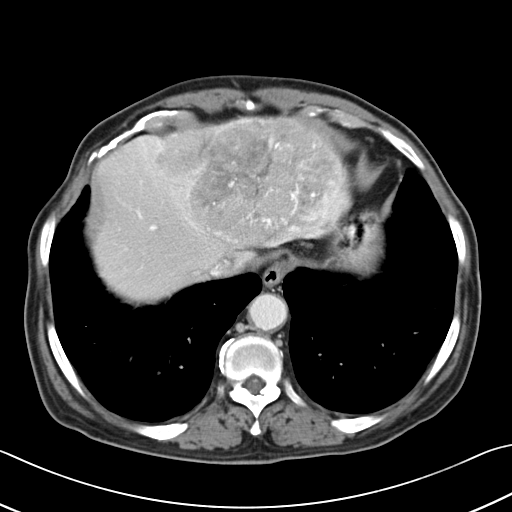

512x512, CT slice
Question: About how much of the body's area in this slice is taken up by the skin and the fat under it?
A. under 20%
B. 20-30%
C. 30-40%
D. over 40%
Answer: A. under 20%
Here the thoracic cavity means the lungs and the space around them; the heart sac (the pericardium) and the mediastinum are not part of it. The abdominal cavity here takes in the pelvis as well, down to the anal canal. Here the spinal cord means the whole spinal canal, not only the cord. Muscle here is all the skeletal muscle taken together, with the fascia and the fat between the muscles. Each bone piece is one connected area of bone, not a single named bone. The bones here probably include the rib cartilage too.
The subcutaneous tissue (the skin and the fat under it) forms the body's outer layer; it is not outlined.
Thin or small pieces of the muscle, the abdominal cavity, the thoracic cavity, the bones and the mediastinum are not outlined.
Outlines (x, y in pixels):
abdominal cavity: [[265,107],[324,116],[365,141],[372,160],[402,160],[403,175],[385,224],[381,272],[360,281],[305,267],[291,271],[276,262],[254,273],[197,283],[164,303],[138,308],[106,291],[82,233],[90,197],[85,184],[96,162],[134,134],[190,117],[194,109]]
thoracic cavity 1: [[412,165],[428,184],[454,242],[457,271],[453,314],[432,362],[403,396],[369,413],[332,411],[310,399],[293,379],[289,351],[292,315],[284,296],[283,280],[286,274],[299,268],[350,276],[360,282],[380,274],[388,255],[386,224],[392,215],[402,178]]
thoracic cavity 2: [[85,185],[89,187],[89,197],[81,220],[83,243],[95,276],[120,303],[133,309],[157,306],[197,284],[247,273],[260,277],[259,292],[219,340],[207,395],[188,412],[166,420],[144,422],[109,410],[84,385],[62,346],[54,323],[50,252],[58,224]]
spinal cord: [[252,375],[255,375],[256,376],[259,377],[263,381],[263,386],[259,390],[258,393],[257,393],[256,394],[254,394],[253,393],[252,393],[247,388],[246,388],[244,386],[244,383],[245,382],[245,381],[250,376],[251,376]]
mediastinum 1: [[276,263],[283,263],[290,269],[283,277],[281,286],[291,315],[288,334],[291,376],[302,394],[298,393],[284,370],[284,352],[268,336],[249,333],[238,337],[230,337],[219,345],[220,340],[234,323],[238,314],[260,292],[262,287],[261,277],[255,273]]
mediastinum 2: [[353,128],[365,128],[381,136],[412,164],[411,167],[408,168],[404,174],[404,162],[400,157],[388,157],[382,161],[376,161],[372,159],[372,156],[370,155],[370,148],[368,144],[366,143],[366,141],[359,137],[356,137],[352,135],[348,131],[348,129]]
bones 1: [[249,334],[268,337],[283,352],[283,370],[306,403],[305,406],[298,405],[285,393],[281,393],[259,413],[258,422],[261,432],[255,436],[249,432],[255,418],[245,405],[231,399],[216,402],[216,386],[221,377],[218,367],[218,348],[230,338]]; inner edge: [[252,375],[255,375],[256,376],[259,377],[263,381],[263,386],[259,390],[258,393],[257,393],[256,394],[254,394],[253,393],[252,393],[247,388],[246,388],[244,386],[244,383],[245,382],[245,381],[250,376],[251,376]]
bones 2: [[160,109],[195,110],[192,115],[187,117],[180,117],[174,121],[162,123],[160,125],[149,127],[136,132],[120,141],[115,147],[110,149],[104,155],[99,158],[96,158],[90,164],[88,164],[88,159],[93,151],[97,150],[123,131],[129,129],[142,116]]
bones 3: [[48,322],[52,322],[54,324],[55,330],[58,336],[61,346],[68,360],[70,362],[82,383],[82,387],[85,393],[85,397],[83,397],[70,384],[63,374],[54,358],[54,356],[50,348],[50,346],[48,342],[48,338],[47,337],[46,325]]
bones 4: [[455,313],[458,313],[460,317],[460,326],[459,327],[459,332],[458,333],[457,339],[455,342],[455,344],[448,358],[438,372],[427,383],[424,383],[424,378],[427,374],[427,372],[431,364],[433,362],[442,343],[445,339],[445,337],[449,329],[453,315]]
bones 5: [[184,421],[187,422],[188,426],[183,432],[172,438],[170,438],[169,439],[164,439],[163,440],[158,440],[157,439],[150,438],[147,436],[144,436],[141,434],[139,434],[132,428],[133,426],[139,425],[140,424],[167,424],[172,422],[183,422]]
bones 6: [[307,106],[320,106],[329,109],[338,109],[347,113],[349,113],[354,116],[356,116],[361,120],[370,124],[371,127],[353,127],[352,128],[346,127],[341,125],[335,121],[333,121],[326,113],[323,113],[319,115],[310,116],[302,111],[302,110]]
bones 7: [[367,414],[375,414],[376,415],[382,415],[383,414],[385,415],[385,416],[380,421],[357,432],[346,433],[340,431],[335,427],[332,426],[330,423],[330,420],[333,418],[339,418],[340,417],[352,418],[353,417],[357,417],[361,415],[366,415]]
bones 8: [[51,212],[54,212],[55,218],[56,219],[56,227],[55,228],[53,238],[51,242],[51,246],[50,247],[50,251],[49,252],[49,261],[48,262],[48,265],[47,266],[43,266],[41,261],[41,258],[40,257],[40,233],[41,232],[41,228],[44,221]]
bones 9: [[377,127],[382,127],[389,130],[393,134],[403,139],[408,144],[409,144],[409,145],[413,149],[415,153],[423,163],[424,165],[424,168],[422,170],[420,170],[418,168],[417,168],[401,152],[400,152],[393,145],[392,145],[382,136],[382,135],[376,129]]
bones 10: [[447,214],[451,214],[454,216],[459,221],[462,227],[463,235],[464,236],[464,242],[465,243],[465,257],[464,258],[464,261],[462,264],[460,264],[458,262],[458,257],[457,256],[457,251],[456,250],[455,242],[454,241],[448,221],[446,218]]
muscle 1: [[262,86],[286,86],[337,96],[359,105],[401,131],[433,168],[458,210],[469,242],[467,332],[452,372],[413,410],[361,438],[338,444],[297,447],[266,444],[256,437],[262,432],[259,416],[265,406],[277,400],[281,394],[285,394],[296,405],[305,407],[307,403],[299,394],[303,394],[332,412],[366,414],[333,417],[329,420],[330,425],[340,432],[357,433],[380,422],[385,414],[370,413],[381,410],[403,397],[428,368],[423,378],[423,383],[427,384],[449,358],[460,332],[461,317],[458,312],[454,313],[454,304],[458,263],[462,265],[466,257],[463,227],[451,213],[445,216],[429,184],[420,173],[425,168],[424,163],[403,138],[382,126],[375,128],[380,135],[366,128],[371,128],[372,125],[356,115],[320,105],[307,105],[301,111],[283,110],[272,106],[258,108],[248,97],[238,99],[238,107],[214,110],[160,108],[142,115],[129,128],[93,150],[87,164],[90,165],[99,159],[91,168],[74,202],[57,225],[55,212],[50,212],[78,171],[86,152],[98,139],[137,110],[188,91],[214,87],[251,90]]
muscle 2: [[39,233],[39,257],[42,266],[48,266],[49,270],[53,314],[53,322],[45,325],[46,337],[53,358],[69,384],[83,398],[86,397],[83,384],[109,411],[144,423],[166,421],[188,413],[215,390],[216,403],[231,400],[251,412],[254,419],[248,432],[253,436],[245,445],[235,450],[178,448],[159,441],[183,433],[189,426],[185,420],[136,424],[131,427],[135,434],[93,420],[63,400],[48,376],[37,340],[36,244]]
torso: [[211,74],[297,77],[357,94],[419,137],[470,215],[478,243],[481,313],[468,373],[459,392],[436,415],[385,444],[357,453],[267,465],[176,461],[90,439],[55,421],[40,399],[23,327],[27,240],[36,214],[64,179],[78,144],[94,125],[165,86]]